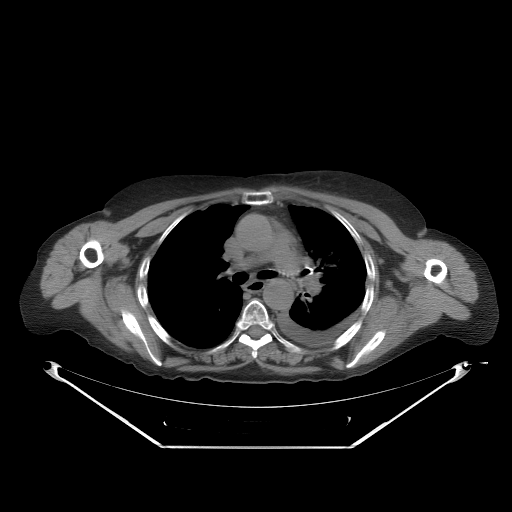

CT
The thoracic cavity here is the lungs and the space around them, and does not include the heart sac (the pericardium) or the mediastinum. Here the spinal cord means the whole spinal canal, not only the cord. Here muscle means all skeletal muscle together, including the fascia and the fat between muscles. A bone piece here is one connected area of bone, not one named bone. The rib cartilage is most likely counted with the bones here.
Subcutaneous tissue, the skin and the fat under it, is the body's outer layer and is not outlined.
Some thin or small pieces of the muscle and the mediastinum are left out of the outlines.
The torso is outlined by [[309,169],[344,170],[382,181],[402,193],[421,212],[427,226],[406,249],[394,273],[409,305],[435,339],[368,373],[344,380],[235,383],[148,376],[90,346],[68,330],[106,303],[135,263],[129,231],[105,203],[120,189],[134,181],[165,174],[249,176]]. The thoracic cavity appears in 2 outlined pieces: piece 1: [[217,203],[229,203],[232,206],[249,205],[238,216],[230,235],[222,245],[223,257],[229,263],[231,274],[235,275],[233,282],[241,289],[242,307],[231,334],[212,347],[202,348],[176,339],[162,326],[149,302],[147,277],[152,258],[170,232],[190,213]]; piece 2: [[289,205],[312,206],[333,216],[347,230],[359,248],[366,270],[364,295],[355,320],[332,343],[319,347],[300,346],[292,342],[279,332],[273,320],[280,314],[287,314],[299,295],[300,280],[302,272],[306,267],[306,258],[308,257],[308,251],[289,210]]. The right arm is outlined by [[104,204],[128,231],[134,255],[134,263],[133,265],[112,296],[106,302],[69,329],[67,330],[60,330],[42,337],[36,337],[31,335],[26,330],[23,325],[18,307],[18,298],[22,285],[35,262],[37,249],[45,239],[55,230],[80,217],[101,209]]. The spinal cord is outlined by [[252,325],[258,325],[259,326],[260,326],[263,329],[263,330],[264,331],[264,332],[263,333],[263,334],[262,335],[261,335],[259,337],[258,337],[257,338],[253,338],[252,337],[251,337],[248,334],[248,333],[247,332],[247,331],[248,330],[248,329]]. The bones appear in 14 outlined pieces: piece 1: [[253,298],[257,298],[263,303],[278,332],[287,340],[301,347],[304,351],[303,353],[291,352],[275,339],[259,347],[255,358],[251,355],[252,349],[248,345],[237,340],[233,341],[224,349],[214,353],[207,353],[209,349],[222,343],[232,334],[243,306]] with a hole at [[252,325],[258,325],[259,326],[260,326],[263,329],[263,330],[264,331],[264,332],[263,333],[263,334],[262,335],[261,335],[259,337],[258,337],[257,338],[253,338],[252,337],[251,337],[248,334],[248,333],[247,332],[247,331],[248,330],[248,329]]; piece 2: [[90,239],[95,239],[97,240],[100,243],[101,245],[101,247],[102,248],[103,255],[104,256],[102,262],[100,263],[97,266],[95,267],[93,267],[92,268],[88,268],[84,266],[79,259],[79,252],[80,251],[80,249],[81,247],[88,240]]; piece 3: [[122,309],[126,310],[132,313],[134,315],[147,341],[147,343],[150,350],[152,352],[152,353],[161,361],[161,365],[160,366],[156,365],[153,362],[145,347],[145,345],[143,341],[138,336],[133,334],[125,326],[122,319],[122,316],[121,315],[121,310]]; piece 4: [[429,258],[437,258],[441,260],[446,265],[447,267],[447,275],[445,277],[445,278],[439,284],[437,284],[432,281],[430,281],[428,279],[427,279],[424,276],[423,274],[423,272],[425,268],[425,262],[426,260],[427,260]]; piece 5: [[257,190],[271,190],[274,194],[274,196],[275,197],[275,200],[271,203],[268,203],[267,204],[260,204],[259,205],[256,205],[255,204],[246,204],[245,203],[243,203],[242,202],[241,202],[241,196],[242,195],[242,193],[244,191],[256,191]]; piece 6: [[379,330],[384,330],[385,331],[385,334],[384,335],[384,337],[383,339],[380,342],[380,343],[373,350],[370,351],[366,354],[364,354],[352,367],[350,368],[347,368],[346,367],[346,364],[350,362],[354,358],[356,354],[371,338],[371,337],[377,331]]; piece 7: [[359,318],[362,318],[362,323],[361,324],[361,326],[360,328],[357,331],[357,332],[350,339],[350,340],[347,343],[346,343],[341,347],[335,350],[331,350],[330,349],[332,346],[332,344],[334,340],[342,333],[343,333],[355,321],[356,321]]; piece 8: [[327,207],[331,207],[333,208],[336,211],[341,214],[346,219],[347,219],[348,221],[354,227],[356,231],[361,237],[361,239],[362,240],[362,244],[359,247],[356,243],[355,240],[351,235],[351,234],[348,231],[348,230],[333,215],[332,215],[329,212]]; piece 9: [[148,314],[153,315],[156,318],[156,319],[161,325],[161,326],[171,336],[171,340],[173,343],[173,346],[170,346],[169,345],[168,345],[166,343],[165,343],[156,334],[156,333],[151,327],[151,326],[148,321],[148,319],[147,318],[147,315]]; piece 10: [[370,284],[372,284],[373,285],[373,289],[374,290],[374,293],[373,294],[373,300],[371,303],[371,305],[368,311],[364,315],[363,315],[360,310],[360,306],[363,301],[363,299],[365,295],[365,290],[366,289],[366,285],[369,285]]; piece 11: [[185,211],[189,211],[189,213],[186,216],[185,216],[169,232],[169,233],[164,238],[164,239],[159,245],[159,246],[158,246],[157,245],[157,242],[158,241],[158,239],[161,235],[161,234],[166,229],[166,228],[179,215],[180,215],[183,212],[184,212]]; piece 12: [[365,252],[367,252],[369,253],[373,261],[373,264],[374,265],[374,269],[375,270],[375,278],[373,280],[370,280],[369,279],[367,279],[367,270],[366,269],[365,262],[363,258],[363,254]]; piece 13: [[140,284],[142,284],[146,286],[146,292],[147,293],[147,297],[148,298],[148,302],[149,303],[149,305],[146,308],[143,308],[142,307],[137,297],[137,292],[136,290],[137,289],[137,287]]; piece 14: [[146,256],[149,256],[151,258],[151,259],[150,260],[150,262],[149,263],[149,267],[148,268],[148,271],[147,272],[147,276],[146,277],[146,278],[144,278],[143,279],[140,279],[140,278],[139,277],[139,268],[141,265],[141,263],[142,262],[142,260]]. The pericardium is outlined by [[260,209],[273,213],[287,227],[299,243],[302,250],[304,252],[304,259],[303,260],[303,264],[298,269],[291,271],[285,271],[284,270],[273,269],[262,265],[252,263],[236,255],[232,254],[225,247],[225,245],[234,232],[239,220],[247,212],[255,211]]. The muscle is outlined by [[272,184],[365,202],[387,214],[408,237],[449,243],[465,257],[478,286],[471,317],[465,321],[443,315],[373,361],[353,368],[384,339],[386,331],[379,329],[344,370],[326,367],[311,373],[281,375],[251,362],[223,371],[180,371],[161,366],[132,312],[122,308],[122,322],[142,341],[152,363],[110,342],[75,306],[54,309],[42,296],[39,283],[46,259],[56,241],[75,226],[96,220],[114,222],[174,198],[250,188],[256,190],[244,190],[238,202],[217,202],[183,211],[160,234],[153,256],[141,260],[138,277],[146,279],[146,285],[140,283],[135,291],[141,307],[150,306],[154,314],[146,315],[150,327],[170,347],[174,346],[172,337],[191,347],[210,348],[207,354],[237,341],[248,346],[255,359],[259,348],[273,340],[291,353],[303,354],[302,347],[329,344],[329,349],[335,351],[361,328],[363,318],[356,320],[358,311],[364,316],[372,305],[374,285],[366,281],[376,278],[373,258],[367,251],[362,254],[362,237],[333,207],[327,206],[326,211],[289,199],[276,200],[271,189],[260,189]], around holes outlined by [[90,239],[95,239],[97,240],[100,243],[101,245],[101,247],[102,248],[103,255],[104,256],[102,262],[100,263],[97,266],[95,267],[93,267],[92,268],[88,268],[84,266],[79,259],[79,252],[80,251],[80,249],[81,247],[88,240]] and by [[429,258],[437,258],[441,260],[446,265],[447,267],[447,275],[445,277],[445,278],[439,284],[437,284],[432,281],[430,281],[428,279],[427,279],[424,276],[423,274],[423,272],[425,268],[425,262],[426,260],[427,260]]. The left arm is outlined by [[427,227],[435,228],[457,237],[478,252],[486,262],[494,281],[497,302],[499,308],[498,325],[493,338],[489,342],[483,345],[474,346],[466,344],[459,339],[447,337],[444,335],[439,335],[436,338],[410,305],[398,280],[395,273],[395,270],[407,249]]. The mediastinum is outlined by [[280,200],[303,204],[289,204],[288,210],[307,251],[307,257],[298,295],[287,313],[272,319],[257,297],[243,305],[242,289],[234,282],[236,275],[223,245],[229,237],[224,247],[234,256],[273,270],[298,270],[304,264],[305,252],[288,227],[273,212],[247,211],[232,233],[250,205]].